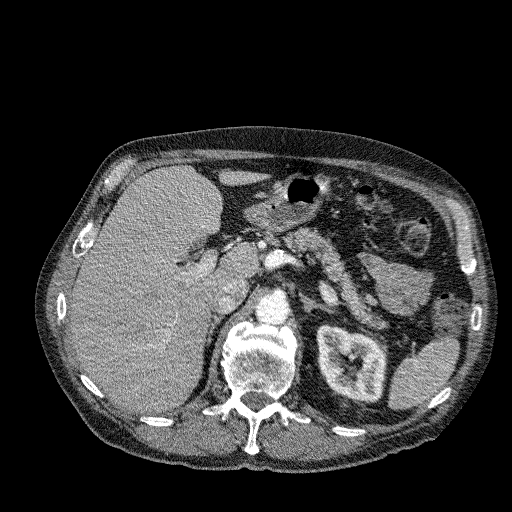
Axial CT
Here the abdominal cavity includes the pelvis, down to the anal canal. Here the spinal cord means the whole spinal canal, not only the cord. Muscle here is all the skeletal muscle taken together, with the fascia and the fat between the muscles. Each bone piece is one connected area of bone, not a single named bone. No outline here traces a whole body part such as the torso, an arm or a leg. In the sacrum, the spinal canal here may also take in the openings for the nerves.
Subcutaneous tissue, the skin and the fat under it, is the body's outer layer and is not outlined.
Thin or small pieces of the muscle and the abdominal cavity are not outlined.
{"muscle":[{"outer":[[176,149],[239,149],[369,160],[457,192],[475,220],[489,293],[479,358],[453,407],[436,423],[333,458],[300,461],[258,453],[257,434],[263,420],[278,413],[284,426],[290,420],[311,421],[280,400],[292,386],[297,368],[300,399],[337,423],[330,429],[343,437],[364,435],[368,431],[360,426],[393,424],[426,404],[432,409],[444,402],[453,389],[448,383],[464,360],[470,327],[472,331],[481,328],[483,310],[479,302],[472,301],[468,281],[477,270],[470,222],[455,198],[449,196],[443,202],[452,214],[457,250],[443,215],[416,191],[357,168],[260,157],[152,166],[119,193],[98,226],[90,217],[79,230],[70,251],[75,259],[81,259],[67,294],[60,290],[55,298],[56,322],[65,318],[82,384],[95,396],[106,396],[139,414],[138,419],[150,426],[171,426],[174,419],[168,416],[202,394],[217,348],[229,395],[201,412],[220,415],[225,421],[234,410],[245,418],[248,433],[242,450],[246,453],[166,453],[142,443],[92,409],[68,377],[53,341],[45,315],[47,288],[58,254],[107,167],[126,154]],"hole":[[130,157],[135,159],[135,163],[130,167],[130,170],[128,174],[122,181],[120,181],[119,182],[116,187],[111,192],[107,193],[106,194],[105,193],[103,193],[103,188],[104,187],[104,180],[105,178],[108,176],[111,171],[118,164]]}],"spinal_cord":[[[248,392],[255,392],[256,393],[264,393],[265,394],[266,394],[271,399],[271,401],[269,403],[266,404],[260,409],[259,409],[258,410],[253,410],[252,409],[251,409],[249,407],[248,407],[241,400],[241,398],[242,397],[242,396],[244,394],[245,394]]],"abdominal_cavity":[[[260,158],[366,171],[418,193],[442,215],[471,292],[469,331],[453,377],[407,417],[343,425],[304,402],[298,337],[287,324],[252,318],[228,329],[219,360],[213,351],[207,386],[167,417],[116,403],[80,367],[66,329],[66,295],[120,193],[155,166]]],"bones":[{"outer":[[250,319],[287,325],[297,337],[296,371],[279,400],[310,418],[308,423],[290,419],[284,425],[275,412],[263,419],[256,434],[259,451],[253,455],[243,450],[249,433],[245,417],[234,409],[225,420],[202,412],[230,395],[219,364],[222,344],[232,326]],"hole":[[248,392],[255,392],[256,393],[264,393],[265,394],[266,394],[271,399],[271,401],[269,403],[266,404],[260,409],[259,409],[258,410],[253,410],[252,409],[251,409],[249,407],[248,407],[241,400],[241,398],[242,397],[242,396],[244,394],[245,394]]},[[449,197],[455,199],[462,206],[462,208],[467,215],[467,218],[469,222],[469,230],[471,236],[473,255],[476,260],[476,270],[475,272],[469,276],[467,276],[461,269],[461,264],[457,248],[456,228],[454,220],[452,217],[453,214],[444,202],[445,199]],[[90,218],[92,218],[93,219],[94,221],[94,226],[95,227],[98,227],[97,228],[97,233],[93,240],[92,244],[87,249],[86,252],[80,257],[75,258],[72,255],[72,252],[71,251],[72,245],[75,239],[77,237],[80,230],[85,225],[87,221]],[[130,157],[135,159],[135,163],[130,167],[130,170],[128,174],[122,181],[120,181],[119,182],[116,187],[111,192],[107,193],[106,194],[105,193],[103,193],[103,188],[104,187],[104,180],[105,178],[108,176],[111,171],[118,164]],[[335,425],[342,425],[345,427],[357,427],[358,428],[363,428],[367,431],[366,432],[366,433],[365,433],[364,434],[361,434],[360,435],[357,435],[356,436],[343,436],[342,435],[339,435],[338,434],[335,433],[333,431],[332,431],[331,428]],[[142,415],[144,415],[145,416],[160,416],[161,417],[166,417],[167,418],[172,418],[173,419],[173,423],[171,425],[169,425],[168,426],[154,426],[153,425],[150,425],[149,424],[148,424],[147,423],[146,423],[143,421],[141,421],[139,419],[139,417]],[[473,302],[474,302],[475,303],[479,303],[480,304],[480,305],[481,306],[481,308],[482,309],[482,310],[481,311],[481,324],[480,325],[480,328],[478,330],[472,330],[471,329],[471,327],[470,326],[470,315],[471,314],[471,312],[472,311],[472,303]],[[60,291],[62,291],[65,294],[65,296],[66,297],[66,309],[65,310],[65,316],[64,317],[64,318],[63,319],[63,320],[62,320],[60,322],[60,323],[58,323],[57,322],[57,313],[56,312],[56,298],[57,297],[57,295],[58,294],[58,293]],[[446,386],[450,386],[452,389],[451,390],[451,392],[450,393],[449,396],[444,401],[441,402],[436,406],[435,406],[432,408],[428,408],[427,407],[427,404],[430,401],[430,400],[434,396],[435,396],[444,387],[445,387]],[[81,373],[83,373],[84,374],[85,374],[93,382],[93,383],[94,384],[95,384],[95,385],[99,389],[99,390],[104,395],[104,396],[103,397],[99,397],[98,396],[95,395],[83,384],[83,383],[80,379],[80,377],[79,376],[79,375]]]}